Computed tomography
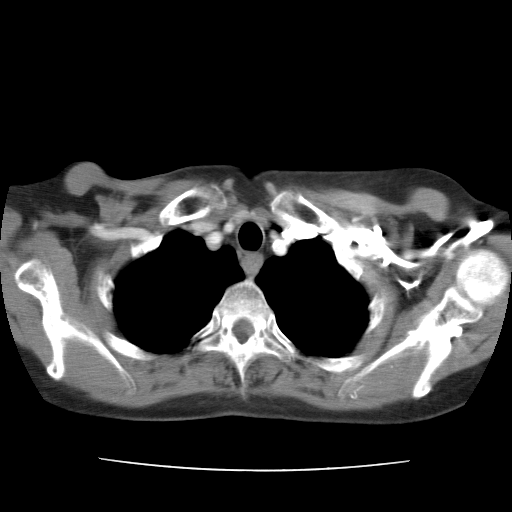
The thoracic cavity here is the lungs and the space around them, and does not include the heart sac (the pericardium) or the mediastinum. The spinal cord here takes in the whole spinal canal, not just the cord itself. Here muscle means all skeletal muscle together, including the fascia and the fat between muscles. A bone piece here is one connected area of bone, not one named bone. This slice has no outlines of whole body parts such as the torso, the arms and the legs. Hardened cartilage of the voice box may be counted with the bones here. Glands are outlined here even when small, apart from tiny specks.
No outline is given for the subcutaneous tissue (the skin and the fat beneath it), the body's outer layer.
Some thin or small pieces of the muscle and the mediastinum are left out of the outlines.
{"spinal_cord":[[[241,320],[245,320],[246,321],[247,321],[252,327],[252,329],[253,330],[253,332],[246,339],[246,340],[244,342],[240,342],[238,340],[237,337],[233,333],[233,331],[232,330],[233,329],[233,327],[235,325],[235,324],[237,322],[238,322]]],"muscle":[{"outer":[[80,163],[95,164],[120,181],[233,177],[245,188],[255,188],[262,180],[281,180],[364,190],[393,201],[410,187],[434,188],[454,207],[495,218],[511,229],[511,279],[508,265],[496,252],[473,250],[457,265],[454,283],[416,326],[345,380],[337,394],[342,397],[378,366],[406,350],[424,350],[410,393],[413,401],[367,411],[322,410],[291,398],[244,401],[205,394],[140,408],[94,401],[50,379],[59,381],[65,374],[68,340],[92,347],[121,374],[131,392],[136,387],[127,371],[95,332],[63,316],[55,277],[37,258],[22,262],[13,279],[40,304],[41,325],[51,348],[45,369],[14,341],[0,273],[5,206],[20,213],[90,209],[85,196],[64,188],[65,174]],"hole":[[194,186],[213,190],[217,199],[201,219],[223,221],[247,210],[286,224],[270,202],[291,190],[338,222],[322,238],[363,264],[360,283],[370,300],[381,291],[385,296],[381,321],[347,354],[365,354],[357,368],[333,372],[260,354],[245,369],[243,387],[224,353],[199,353],[192,343],[173,353],[151,351],[148,360],[113,350],[103,332],[124,336],[98,297],[98,272],[114,280],[132,260],[132,243],[174,229],[159,213]]},[[505,292],[506,295],[503,314],[499,328],[495,336],[493,347],[487,358],[474,366],[455,372],[443,378],[438,381],[432,389],[431,377],[450,354],[452,350],[451,340],[457,330],[463,324],[477,322],[483,316],[485,307],[494,304],[498,298],[501,297]]],"mediastinum":[[[232,217],[237,224],[253,220],[263,229],[270,227],[270,221],[304,226],[317,235],[296,240],[289,245],[283,255],[272,255],[267,258],[254,279],[245,278],[232,245],[222,244],[216,249],[211,249],[202,236],[180,227],[175,228],[194,220],[223,221]]],"bones":[[[478,249],[490,250],[505,262],[510,273],[508,289],[484,307],[477,321],[463,323],[456,330],[449,354],[430,377],[431,390],[418,399],[412,397],[426,353],[409,348],[357,379],[342,396],[338,394],[347,379],[417,326],[419,318],[455,283],[460,262]],{"outer":[[247,278],[260,288],[279,329],[302,354],[341,357],[364,353],[365,360],[357,368],[333,372],[302,359],[294,358],[285,362],[272,354],[260,354],[245,369],[243,387],[234,364],[224,353],[214,350],[199,353],[193,350],[191,338],[210,320],[225,290]],"hole":[[241,320],[245,320],[246,321],[247,321],[252,327],[252,329],[253,330],[253,332],[246,339],[246,340],[244,342],[240,342],[238,340],[237,337],[233,333],[233,331],[232,330],[233,329],[233,327],[235,325],[235,324],[237,322],[238,322]]},[[30,259],[39,260],[51,271],[59,292],[62,316],[98,336],[131,378],[135,391],[128,388],[122,374],[92,346],[76,340],[66,341],[63,376],[55,380],[46,372],[52,359],[52,348],[42,325],[41,304],[36,297],[21,290],[14,279],[17,268]],[[284,190],[291,190],[294,192],[301,193],[306,199],[310,201],[315,206],[321,209],[329,216],[334,218],[338,222],[339,227],[335,229],[330,229],[326,234],[322,235],[318,234],[317,232],[307,226],[292,224],[278,219],[270,208],[270,202],[277,194]],[[194,186],[198,186],[199,187],[202,187],[205,189],[213,190],[214,195],[217,199],[216,200],[216,206],[214,209],[210,213],[203,217],[189,220],[180,223],[177,225],[166,225],[165,224],[164,225],[162,224],[159,220],[159,213],[160,211],[175,197]],[[105,330],[107,330],[119,337],[123,337],[133,344],[138,346],[140,348],[148,352],[150,352],[153,355],[153,357],[151,359],[149,359],[148,360],[135,359],[128,356],[125,356],[113,350],[109,344],[106,342],[104,339],[104,337],[103,336],[103,332]],[[381,291],[383,292],[385,296],[385,309],[384,310],[384,313],[383,314],[382,319],[381,321],[371,331],[365,334],[364,333],[364,331],[366,327],[368,325],[368,322],[369,321],[369,311],[367,307],[368,306],[368,304],[373,296],[375,294],[379,293]],[[99,271],[102,271],[105,273],[109,274],[112,278],[113,282],[114,283],[114,288],[112,291],[112,311],[108,310],[103,305],[103,304],[99,299],[98,295],[97,294],[97,291],[96,290],[96,286],[98,283],[98,272]],[[336,247],[338,247],[340,248],[346,254],[346,255],[350,258],[355,258],[357,260],[360,261],[363,264],[364,266],[364,274],[360,282],[359,281],[357,281],[341,265],[340,265],[338,263],[336,259],[335,254],[334,253],[334,249]],[[163,234],[163,237],[162,238],[159,245],[155,249],[146,253],[144,255],[143,255],[136,259],[132,259],[131,258],[131,256],[130,255],[130,246],[132,243],[137,243],[141,240],[143,240],[144,239],[148,239],[151,237],[155,237],[157,235],[162,235]]],"thyroid_glands":[[[241,210],[247,210],[250,212],[253,212],[265,218],[265,219],[269,221],[270,223],[269,227],[267,228],[263,228],[263,227],[256,221],[250,218],[248,219],[245,219],[244,220],[241,220],[238,223],[235,222],[234,218],[233,217],[237,212]]],"thoracic_cavity":[[[176,228],[202,237],[211,250],[216,250],[222,245],[232,246],[244,278],[224,290],[220,299],[213,307],[209,320],[191,336],[191,343],[177,352],[158,353],[148,351],[124,337],[113,311],[114,280],[124,266],[132,260],[136,260],[155,250],[164,236]],[[318,235],[321,235],[327,241],[331,246],[337,263],[363,286],[369,298],[366,307],[368,311],[367,325],[347,355],[315,356],[302,353],[280,329],[274,311],[267,302],[263,291],[254,280],[267,259],[272,256],[283,256],[291,244],[298,240],[312,238]]]}